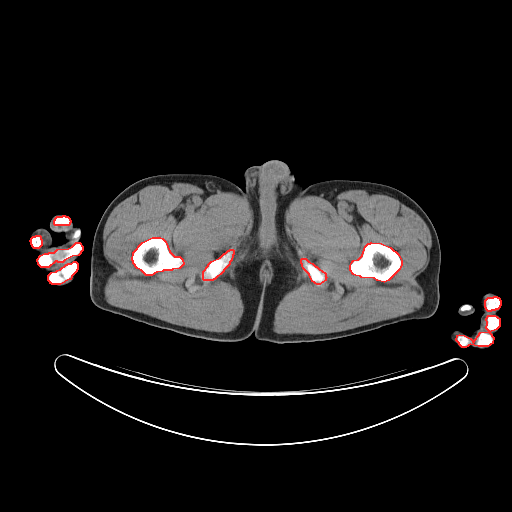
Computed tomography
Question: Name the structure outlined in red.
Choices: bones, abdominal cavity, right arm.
Answer: red: bones.
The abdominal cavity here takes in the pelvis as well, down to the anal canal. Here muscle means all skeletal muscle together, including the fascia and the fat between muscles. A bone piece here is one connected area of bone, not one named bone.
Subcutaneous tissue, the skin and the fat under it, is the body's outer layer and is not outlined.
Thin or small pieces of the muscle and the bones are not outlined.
Outlined structures:
bones 1: [[371,242],[381,243],[390,247],[398,254],[401,260],[401,264],[399,269],[388,280],[384,282],[377,280],[374,278],[361,277],[360,276],[355,275],[353,274],[350,270],[350,265],[352,261],[353,260],[358,259],[362,255],[365,246],[368,243],[370,243]]
bones 2: [[152,237],[160,237],[162,238],[165,241],[169,251],[174,256],[179,256],[182,259],[183,264],[179,268],[172,269],[171,270],[163,270],[162,271],[156,272],[151,275],[146,275],[141,270],[137,268],[133,263],[133,261],[132,260],[133,252],[142,242]]
bones 3: [[488,315],[494,315],[499,318],[499,326],[496,329],[489,332],[493,337],[492,343],[487,346],[478,346],[470,344],[465,347],[462,347],[456,340],[457,335],[459,334],[464,335],[470,338],[473,342],[480,332],[489,331],[486,328],[487,323],[486,318]]
bones 4: [[76,242],[79,242],[82,246],[82,250],[78,255],[72,256],[64,260],[62,262],[58,262],[57,261],[55,261],[48,267],[41,267],[38,264],[37,259],[40,255],[44,253],[48,253],[49,252],[54,252],[57,249],[68,248],[72,246]]
bones 5: [[230,249],[232,249],[233,250],[233,254],[232,255],[231,260],[229,262],[229,264],[223,270],[223,271],[214,279],[213,279],[212,280],[204,280],[203,279],[203,271],[208,265],[208,264],[211,261],[220,257],[224,253],[225,253],[228,250],[229,250]]
bones 6: [[74,261],[75,261],[77,263],[77,269],[76,270],[76,271],[71,276],[70,279],[69,279],[60,284],[52,284],[51,283],[50,283],[50,282],[48,280],[48,275],[51,272],[56,271],[57,270],[60,269],[66,264],[67,264],[68,263],[71,263]]
bones 7: [[302,258],[305,258],[308,261],[312,263],[315,266],[316,266],[319,269],[324,272],[325,273],[325,276],[326,277],[325,278],[325,280],[319,284],[317,284],[312,281],[309,274],[303,268],[302,266],[302,264],[301,263],[301,259]]
bones 8: [[494,296],[496,296],[497,297],[498,297],[499,298],[499,299],[500,300],[500,305],[499,306],[499,307],[497,309],[495,309],[494,310],[491,310],[490,311],[488,311],[486,309],[486,308],[485,307],[485,300],[488,297],[493,297]]
bones 9: [[63,215],[64,215],[65,216],[67,216],[69,218],[69,219],[70,220],[70,222],[69,223],[69,224],[68,225],[55,225],[54,224],[54,220],[55,219],[55,218],[57,216],[62,216]]
bones 10: [[36,235],[39,235],[40,236],[40,238],[41,239],[41,245],[38,248],[34,248],[32,246],[32,245],[31,244],[31,242],[30,241],[30,240],[31,239],[31,238],[33,236],[35,236]]
abdominal cavity: [[267,263],[268,264],[269,264],[269,276],[267,278],[267,279],[264,279],[262,277],[262,269],[263,268],[263,266],[265,264],[266,264]]
right arm: [[58,214],[68,216],[73,225],[79,228],[79,242],[82,246],[75,260],[77,269],[72,281],[61,286],[50,283],[48,274],[40,269],[38,254],[30,241],[31,232],[43,227],[49,231],[54,245],[65,242],[65,234],[57,233],[49,226],[51,218]]
muscle 1: [[159,182],[190,183],[212,193],[218,190],[232,192],[245,197],[252,209],[253,223],[246,241],[245,259],[234,269],[235,286],[244,310],[239,324],[231,331],[215,332],[173,324],[111,305],[104,297],[104,286],[112,272],[103,254],[105,223],[121,201]], around holes outlined by [[152,237],[160,237],[162,238],[165,241],[169,251],[174,256],[179,256],[182,259],[183,264],[179,268],[172,269],[171,270],[163,270],[162,271],[156,272],[151,275],[146,275],[141,270],[137,268],[133,263],[133,261],[132,260],[133,252],[142,242]] and by [[230,249],[232,249],[233,250],[233,254],[232,255],[231,260],[229,262],[229,264],[223,270],[223,271],[214,279],[213,279],[212,280],[204,280],[203,279],[203,271],[208,265],[208,264],[211,261],[220,257],[224,253],[225,253],[228,250],[229,250]]
muscle 2: [[352,189],[393,197],[415,211],[427,225],[431,235],[429,262],[417,277],[424,291],[422,306],[411,313],[342,331],[276,333],[272,329],[276,307],[292,290],[303,269],[317,285],[327,277],[305,257],[300,263],[298,260],[286,234],[286,209],[296,198]], around a hole outlined by [[371,242],[381,243],[390,247],[398,254],[401,260],[401,264],[399,269],[388,280],[384,282],[377,280],[374,278],[361,277],[360,276],[355,275],[353,274],[350,270],[350,265],[352,261],[353,260],[358,259],[362,255],[365,246],[368,243],[370,243]]
muscle 3: [[265,260],[267,260],[270,263],[270,264],[271,265],[271,270],[272,271],[272,276],[271,277],[271,279],[270,280],[270,281],[269,282],[266,282],[265,281],[262,281],[262,280],[260,278],[260,270],[261,269],[261,266],[262,265],[262,263]]; inner edge: [[267,263],[268,264],[269,264],[269,276],[267,278],[267,279],[264,279],[262,277],[262,269],[263,268],[263,266],[265,264],[266,264]]
muscle 4: [[40,235],[42,235],[43,236],[43,237],[45,239],[45,244],[42,246],[43,247],[44,247],[45,248],[62,248],[57,248],[54,251],[49,251],[48,252],[43,252],[43,251],[41,249],[41,248],[40,247],[42,245],[42,239],[41,238],[41,236]]
muscle 5: [[68,259],[69,259],[69,260],[67,263],[66,263],[64,265],[63,265],[60,268],[59,268],[56,270],[54,270],[53,271],[51,269],[50,269],[49,268],[49,267],[50,266],[51,266],[55,262],[57,262],[58,263],[62,263],[64,261],[65,261]]
left arm 1: [[488,292],[494,293],[500,300],[497,312],[499,316],[499,326],[492,336],[493,341],[485,348],[478,348],[471,344],[462,347],[456,340],[454,341],[451,338],[451,333],[458,330],[467,337],[472,331],[478,328],[482,314],[479,307],[479,300],[485,293]]
left arm 2: [[464,305],[469,305],[471,307],[472,307],[473,308],[474,308],[474,311],[471,314],[469,314],[468,315],[466,315],[465,316],[462,316],[461,315],[460,315],[458,313],[458,310],[462,306],[463,306]]
torso: [[269,160],[285,162],[304,187],[360,180],[394,187],[412,198],[431,220],[440,245],[439,303],[432,316],[327,341],[280,344],[251,334],[221,342],[138,322],[91,301],[94,233],[107,206],[126,187],[158,174],[195,173],[219,176],[243,189],[245,170]]